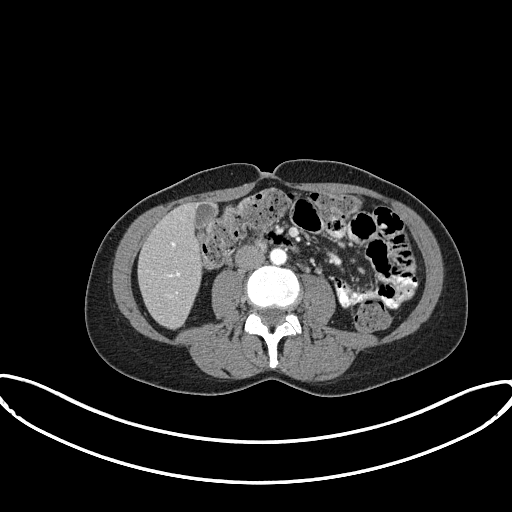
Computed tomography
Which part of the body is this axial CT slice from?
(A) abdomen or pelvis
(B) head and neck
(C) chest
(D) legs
Answer: (A) abdomen or pelvis
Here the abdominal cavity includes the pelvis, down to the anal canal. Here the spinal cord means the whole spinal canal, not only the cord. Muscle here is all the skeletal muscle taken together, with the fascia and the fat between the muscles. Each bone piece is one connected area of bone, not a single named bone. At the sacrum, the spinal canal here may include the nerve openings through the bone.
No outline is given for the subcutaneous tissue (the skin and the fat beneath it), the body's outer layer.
The spinal cord is outlined by (269, 326) (274, 326) (279, 323) (281, 323) (284, 319) (284, 316) (285, 315) (285, 313) (286, 311) (282, 308) (278, 308) (277, 307) (266, 307) (265, 308) (260, 308) (258, 309) (258, 313) (261, 317) (262, 319) (262, 321) (264, 323) (265, 323). The torso is outlined by (324, 397) (369, 390) (419, 372) (446, 358) (463, 337) (468, 295) (462, 260) (442, 221) (421, 200) (343, 162) (291, 159) (271, 172) (232, 162) (198, 171) (146, 196) (113, 223) (93, 258) (84, 297) (88, 337) (110, 367) (137, 381) (186, 394) (220, 395) (277, 380). The bones are outlined by (271, 368) (276, 367) (278, 362) (278, 341) (283, 336) (301, 333) (300, 322) (297, 315) (293, 312) (293, 307) (300, 297) (301, 288) (297, 276) (290, 269) (264, 265) (254, 270) (246, 280) (246, 295) (252, 308) (246, 318) (244, 331) (260, 335) (265, 340) (269, 366); inner edge: (269, 326) (274, 326) (279, 323) (281, 323) (284, 319) (284, 316) (285, 315) (285, 313) (286, 311) (282, 308) (278, 308) (277, 307) (266, 307) (265, 308) (260, 308) (258, 309) (258, 313) (261, 317) (262, 319) (262, 321) (264, 323) (265, 323). The muscle is outlined by (309, 382) (342, 375) (359, 353) (413, 333) (430, 316) (442, 289) (443, 262) (433, 233) (416, 212) (397, 200) (358, 185) (294, 183) (266, 176) (154, 206) (130, 224) (118, 244) (112, 267) (113, 295) (123, 316) (145, 336) (186, 348) (206, 374) (219, 379) (241, 379) (270, 368) (264, 340) (243, 331) (251, 306) (241, 272) (224, 270) (214, 279) (211, 303) (216, 322) (192, 326) (168, 338) (139, 310) (131, 273) (139, 246) (153, 225) (184, 202) (234, 199) (262, 180) (276, 180) (300, 189) (356, 192) (391, 205) (408, 225) (423, 256) (426, 277) (422, 295) (402, 323) (378, 338) (328, 326) (335, 310) (331, 287) (323, 276) (301, 275) (302, 293) (294, 312) (301, 322) (302, 333) (279, 341) (279, 362) (275, 369). The abdominal cavity is outlined by (168, 337) (216, 321) (210, 289) (218, 273) (239, 270) (246, 279) (264, 264) (288, 267) (299, 279) (304, 273) (323, 275) (336, 299) (328, 325) (382, 337) (417, 303) (423, 259) (397, 212) (361, 194) (262, 181) (234, 200) (184, 203) (150, 230) (132, 273) (140, 310).